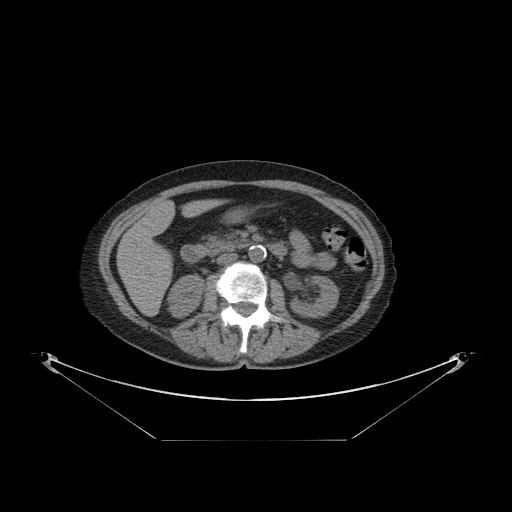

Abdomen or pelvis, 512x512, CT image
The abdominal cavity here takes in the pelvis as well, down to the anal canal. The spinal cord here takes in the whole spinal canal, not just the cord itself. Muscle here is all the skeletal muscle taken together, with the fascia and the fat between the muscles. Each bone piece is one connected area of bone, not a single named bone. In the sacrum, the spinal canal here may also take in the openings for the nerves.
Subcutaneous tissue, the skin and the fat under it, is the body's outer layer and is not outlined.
The abdominal cavity is outlined by 232,185 307,195 353,227 367,246 372,267 361,300 347,317 327,328 299,321 286,307 280,282 267,277 257,264 244,260 211,273 205,280 201,310 176,325 159,325 134,309 110,265 112,249 120,234 168,197. The spinal cord is outlined by 239,302 249,302 250,303 252,303 253,304 254,304 255,305 255,310 253,312 252,312 249,315 248,315 247,316 243,316 241,314 240,314 234,308 234,305 235,304 236,304 237,303 238,303. The muscle is outlined by 212,179 231,180 232,181 250,181 251,180 262,180 263,179 282,179 283,180 295,181 306,185 312,186 318,189 322,189 339,197 344,198 346,200 358,206 370,220 382,242 383,250 384,251 384,264 385,265 385,273 384,274 385,277 382,286 380,289 379,294 371,304 367,311 358,320 358,321 351,326 348,327 345,330 338,332 331,336 329,336 323,340 319,341 310,351 296,359 285,360 279,362 258,363 253,361 248,357 241,356 239,357 237,360 232,363 212,363 208,361 202,360 189,354 187,354 181,350 175,344 160,337 158,335 148,330 144,329 123,315 116,307 110,295 105,288 97,264 98,263 97,259 98,258 98,251 99,250 100,242 104,233 106,231 110,223 117,215 124,210 127,209 130,206 136,203 138,203 149,197 151,197 163,190 184,183 188,183 194,181 200,181 201,180 211,180, around a hole outlined by 232,185 307,195 353,227 372,267 347,317 327,328 299,321 268,276 265,305 288,321 253,325 242,353 240,328 222,327 219,316 220,271 205,280 201,310 176,325 134,309 110,265 120,234 168,197. The torso is outlined by 223,159 265,159 321,172 354,190 385,223 392,237 397,279 382,321 364,342 336,356 293,368 248,369 243,365 231,370 199,370 165,362 125,343 86,310 75,283 75,263 89,226 115,201 142,182 186,165. The bones are outlined by 236,261 248,262 259,267 267,281 265,299 267,309 272,314 288,320 287,322 270,320 263,328 253,325 248,332 245,353 239,351 242,341 240,328 237,325 222,327 219,314 227,302 220,296 215,286 223,269, around a hole outlined by 239,302 249,302 250,303 252,303 253,304 254,304 255,305 255,310 253,312 252,312 249,315 248,315 247,316 243,316 241,314 240,314 234,308 234,305 235,304 236,304 237,303 238,303.